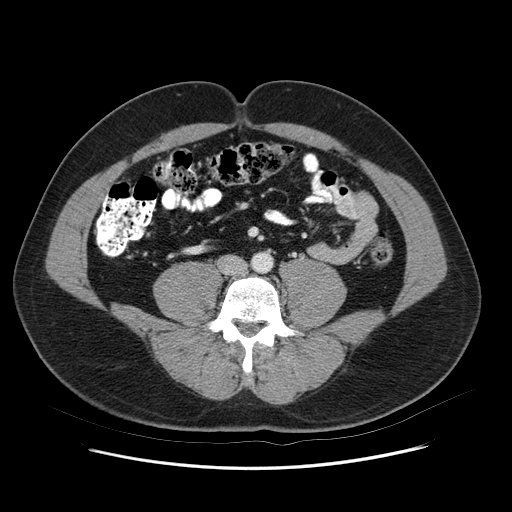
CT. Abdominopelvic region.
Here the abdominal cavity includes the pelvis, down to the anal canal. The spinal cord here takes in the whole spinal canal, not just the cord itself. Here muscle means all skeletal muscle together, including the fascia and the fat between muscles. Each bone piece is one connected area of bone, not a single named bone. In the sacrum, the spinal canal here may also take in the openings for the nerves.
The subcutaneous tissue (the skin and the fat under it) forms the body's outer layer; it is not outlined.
The spinal cord is outlined by (246, 336) (252, 336) (254, 334) (255, 334) (263, 326) (263, 325) (264, 324) (263, 323) (254, 323) (253, 322) (247, 322) (246, 323) (244, 323) (243, 322) (240, 322) (237, 320) (235, 322) (235, 323) (236, 324) (238, 329) (241, 333) (242, 333). The muscle is outlined by (274, 406) (299, 401) (306, 395) (326, 386) (346, 369) (355, 350) (368, 341) (367, 338) (374, 329) (439, 286) (447, 273) (447, 260) (439, 232) (428, 204) (407, 180) (364, 158) (356, 150) (332, 135) (289, 122) (261, 124) (198, 122) (181, 125) (161, 133) (130, 155) (94, 174) (73, 192) (59, 213) (51, 233) (45, 257) (45, 269) (48, 276) (62, 289) (113, 316) (137, 335) (168, 379) (183, 390) (212, 400) (225, 400) (247, 389) (261, 400) with a hole at (245, 373) (257, 343) (303, 334) (283, 321) (282, 265) (335, 268) (348, 288) (336, 316) (387, 311) (405, 243) (360, 169) (233, 128) (152, 155) (109, 184) (88, 237) (88, 274) (107, 305) (164, 317) (157, 276) (178, 261) (214, 264) (222, 285) (204, 326) (240, 343). The torso is outlined by (285, 433) (362, 425) (439, 385) (460, 360) (479, 321) (482, 295) (473, 259) (424, 160) (391, 123) (359, 100) (322, 84) (289, 79) (261, 83) (242, 101) (211, 81) (153, 88) (102, 117) (56, 168) (15, 261) (12, 296) (18, 318) (52, 375) (110, 415) (181, 431). The bones are outlined by (245, 373) (252, 372) (252, 350) (257, 343) (272, 348) (277, 336) (303, 334) (284, 323) (280, 311) (278, 291) (266, 278) (257, 275) (234, 280) (226, 288) (217, 316) (204, 325) (212, 331) (221, 332) (223, 339) (227, 342) (238, 341) (240, 343) (245, 351) (241, 363), around a hole outlined by (246, 336) (252, 336) (254, 334) (255, 334) (263, 326) (263, 325) (264, 324) (263, 323) (254, 323) (253, 322) (247, 322) (246, 323) (244, 323) (243, 322) (240, 322) (237, 320) (235, 322) (235, 323) (236, 324) (238, 329) (241, 333) (242, 333). The abdominal cavity is outlined by (284, 320) (279, 268) (289, 261) (337, 270) (348, 293) (336, 316) (387, 311) (397, 296) (403, 235) (360, 169) (233, 128) (152, 155) (109, 184) (88, 237) (88, 274) (104, 303) (164, 317) (154, 280) (201, 260) (222, 277) (215, 316) (225, 288) (257, 274) (279, 291).